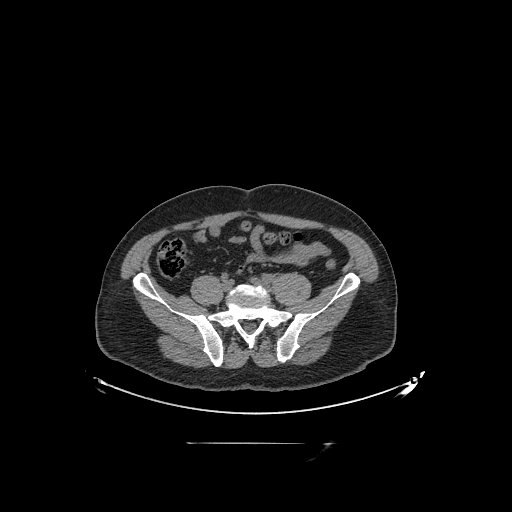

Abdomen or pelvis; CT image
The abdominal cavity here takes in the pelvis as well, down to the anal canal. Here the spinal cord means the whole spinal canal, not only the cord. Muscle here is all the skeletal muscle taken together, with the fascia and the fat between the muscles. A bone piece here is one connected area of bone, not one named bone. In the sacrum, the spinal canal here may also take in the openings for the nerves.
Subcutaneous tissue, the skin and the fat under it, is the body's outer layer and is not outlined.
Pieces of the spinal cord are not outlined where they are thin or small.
The abdominal cavity appears in 2 outlined pieces: piece 1: (240, 216) (328, 232) (349, 255) (341, 275) (310, 297) (312, 283) (305, 275) (275, 273) (271, 292) (283, 309) (270, 305) (270, 294) (261, 284) (239, 283) (225, 296) (219, 278) (211, 273) (195, 277) (189, 295) (169, 292) (152, 274) (149, 258) (153, 247) (174, 231); piece 2: (224, 297) (224, 303) (225, 304) (225, 306) (226, 307) (226, 308) (225, 309) (223, 309) (222, 310) (219, 310) (218, 311) (215, 311) (214, 312) (210, 312) (210, 311) (206, 307) (207, 306) (210, 306) (211, 305) (218, 305) (224, 299). The bones are outlined by (139, 272) (190, 315) (225, 310) (227, 293) (243, 283) (261, 285) (271, 307) (296, 314) (323, 307) (348, 272) (360, 282) (302, 327) (299, 347) (283, 363) (276, 347) (288, 321) (266, 326) (251, 348) (234, 327) (214, 322) (223, 346) (216, 367) (192, 322) (134, 287), around a hole outlined by (240, 319) (241, 319) (243, 321) (255, 321) (256, 322) (256, 323) (257, 324) (257, 325) (256, 326) (256, 327) (255, 328) (255, 329) (251, 333) (249, 333) (248, 332) (247, 332) (243, 328) (243, 326) (242, 325) (242, 323) (241, 322) (240, 322) (239, 321) (239, 320). The spinal cord is outlined by (240, 319) (241, 319) (243, 321) (255, 321) (256, 322) (256, 323) (257, 324) (257, 325) (256, 326) (256, 327) (255, 328) (255, 329) (251, 333) (249, 333) (248, 332) (247, 332) (243, 328) (243, 326) (242, 325) (242, 323) (241, 322) (240, 322) (239, 321) (239, 320). The torso is outlined by (269, 183) (303, 187) (344, 204) (357, 213) (380, 239) (391, 261) (397, 284) (397, 325) (392, 349) (363, 370) (337, 381) (306, 389) (277, 392) (185, 388) (160, 381) (108, 358) (96, 342) (95, 304) (105, 265) (128, 229) (159, 203) (192, 189) (210, 185) (249, 189). The muscle is outlined by (247, 209) (314, 220) (352, 231) (372, 250) (378, 264) (377, 279) (361, 286) (346, 315) (331, 333) (333, 338) (329, 349) (315, 362) (307, 365) (261, 367) (249, 360) (239, 368) (222, 368) (223, 340) (214, 323) (223, 328) (234, 328) (251, 349) (257, 336) (266, 327) (275, 328) (288, 322) (277, 338) (275, 347) (276, 359) (283, 364) (300, 347) (298, 339) (303, 327) (335, 300) (356, 290) (361, 279) (355, 272) (348, 271) (323, 306) (311, 312) (292, 313) (280, 305) (272, 292) (274, 276) (290, 272) (305, 276) (311, 283) (310, 298) (335, 282) (342, 275) (350, 255) (346, 246) (331, 233) (322, 228) (287, 226) (250, 215) (240, 215) (203, 227) (174, 230) (164, 235) (151, 249) (148, 264) (155, 280) (175, 296) (189, 296) (192, 281) (199, 276) (211, 274) (218, 278) (224, 296) (218, 304) (205, 307) (210, 313) (190, 314) (173, 308) (160, 295) (146, 272) (139, 271) (132, 277) (131, 283) (137, 291) (188, 320) (201, 336) (202, 351) (213, 366) (196, 368) (164, 357) (156, 344) (160, 331) (144, 314) (129, 282) (120, 276) (125, 255) (137, 240) (164, 227) (208, 215).